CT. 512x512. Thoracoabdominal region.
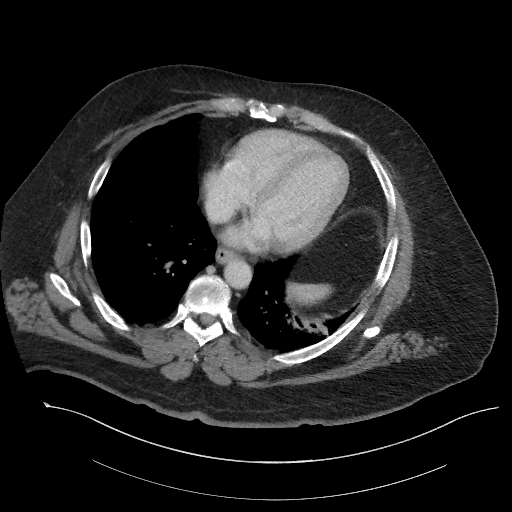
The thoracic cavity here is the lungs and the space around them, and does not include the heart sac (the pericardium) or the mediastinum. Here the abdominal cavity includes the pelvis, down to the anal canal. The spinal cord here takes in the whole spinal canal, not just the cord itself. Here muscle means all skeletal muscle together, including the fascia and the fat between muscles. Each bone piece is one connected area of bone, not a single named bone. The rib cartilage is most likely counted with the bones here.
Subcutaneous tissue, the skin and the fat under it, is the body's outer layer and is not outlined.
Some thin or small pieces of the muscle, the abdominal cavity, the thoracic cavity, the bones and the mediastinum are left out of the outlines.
Outlines (x, y in pixels):
torso: 174,63 211,66 267,80 351,88 387,104 415,129 482,247 495,282 497,332 476,374 403,409 364,421 230,428 164,415 69,375 47,369 26,371 10,329 2,289 0,240 5,203 71,117 97,91 128,73
abdominal cavity: 367,206 369,206 379,216 386,233 384,251 372,283 365,295 337,315 328,315 325,317 317,315 313,319 294,315 284,300 286,282 290,277 292,269 300,259 303,248 319,234 335,225 338,219 346,213 357,207
spinal cord: 202,313 207,313 208,314 210,314 214,318 214,321 211,324 210,324 209,325 208,325 207,326 203,326 202,325 201,325 198,322 198,321 197,320 197,317 198,316 198,315 199,315 200,314 201,314
mediastinum 1: 217,110 236,110 271,123 285,118 345,138 365,157 377,178 387,208 387,228 369,205 340,216 355,180 352,159 341,147 310,132 266,125 245,127 212,152 199,183 203,214 197,204 199,155 194,138 202,114
mediastinum 2: 209,224 217,238 222,243 251,256 254,260 275,260 280,258 276,260 260,261 254,266 252,278 247,291 239,300 235,309 230,306 230,288 219,275 201,274 196,276 206,266 212,264 215,261 217,240 212,233
muscle 1: 219,93 248,98 216,98 210,102 216,110 201,114 193,108 176,112 134,137 113,160 108,155 95,170 86,194 88,200 93,198 90,219 89,222 83,217 79,223 79,243 83,265 86,269 90,259 102,295 92,290 91,297 104,320 127,332 133,323 161,323 163,330 181,323 200,348 225,330 239,336 236,323 257,343 277,352 270,356 271,360 287,366 307,362 330,350 367,313 367,307 356,311 370,286 375,286 378,293 386,284 399,244 394,232 386,245 387,206 393,213 396,211 394,185 380,159 369,144 364,156 347,139 360,144 359,135 393,166 412,223 412,282 394,321 402,331 412,329 425,337 444,337 447,345 437,354 402,359 319,382 231,389 217,386 200,367 173,382 156,372 17,329 8,308 6,289 12,280 25,276 41,284 44,272 54,265 54,251 73,197 108,147 96,149 100,141 110,132 169,105 209,99 with holes at 51,272 53,273 56,273 58,274 62,278 63,278 63,279 66,282 71,293 73,294 79,300 80,302 80,305 79,306 75,305 69,299 62,295 58,291 58,290 55,287 55,286 50,279 49,274 and at 375,325 377,325 380,327 380,331 379,332 379,333 378,333 375,336 374,336 371,338 365,338 362,336 362,333 363,332 363,331 366,328 367,328 368,327 371,327 372,326 374,326
muscle 2: 281,103 285,103 286,104 290,104 291,105 297,105 300,107 308,109 311,111 314,111 317,113 321,113 327,117 333,123 328,121 320,115 318,115 312,112 309,112 308,111 293,111 289,107 286,106 283,103
pericardium: 255,126 298,130 323,137 341,148 348,155 353,164 353,191 345,202 345,206 339,214 335,224 319,233 303,247 301,251 286,257 254,259 251,255 225,244 218,238 208,223 200,203 200,183 213,152 245,128
thoracic cavity 1: 193,112 202,115 202,118 197,122 198,131 193,138 198,155 196,204 216,240 214,261 200,270 189,282 182,300 169,319 162,323 128,323 103,297 94,273 91,261 90,230 93,201 113,161 134,138 156,125
thoracic cavity 2: 294,254 299,255 299,259 285,282 283,298 294,316 311,320 317,316 321,318 337,316 360,300 361,302 352,317 323,339 297,349 278,352 257,342 235,321 231,308 235,310 246,295 254,268 258,263 285,259
bones 1: 201,275 219,276 227,284 230,291 229,306 232,311 235,325 240,334 236,335 225,329 221,335 209,340 200,347 197,340 183,329 183,324 181,322 164,329 160,326 169,320 176,312 179,303 183,300 190,282, around a hole outlined by 202,313 207,313 208,314 210,314 214,318 214,321 211,324 210,324 209,325 208,325 207,326 203,326 202,325 201,325 198,322 198,321 197,320 197,317 198,316 198,315 199,315 200,314 201,314
bones 2: 229,97 243,100 253,98 263,102 267,107 280,103 293,112 315,114 335,126 353,132 360,138 361,142 310,128 301,122 294,123 285,117 271,122 261,118 250,117 236,109 215,109 211,105 212,101
bones 3: 363,308 367,308 367,311 360,321 338,343 322,354 307,361 301,363 296,363 292,365 287,365 284,363 271,359 271,356 275,353 283,353 284,352 289,352 290,351 297,350 315,344 323,340 326,337 332,334
bones 4: 367,145 369,145 371,147 376,156 379,159 380,162 385,169 390,179 390,181 393,185 394,194 395,195 395,211 394,212 393,212 386,204 384,194 378,180 378,178 376,176 376,174 365,154 365,148
bones 5: 394,233 396,233 398,236 398,244 397,245 397,250 395,255 395,259 388,279 382,288 378,292 378,289 376,286 373,284 373,281 376,275 380,262 382,259 383,254 385,251 385,248 387,245 387,243 391,236
bones 6: 92,291 95,291 98,293 105,300 109,306 122,318 123,318 123,319 130,326 131,328 130,330 127,331 126,330 119,329 113,326 105,320 101,314 99,309 97,307 96,304 94,302 94,300 92,297
bones 7: 108,156 109,156 112,159 112,162 108,169 108,171 97,193 92,198 90,199 88,199 87,197 87,194 88,193 88,189 91,183 91,181 94,176 94,174 96,170 100,165 100,164
bones 8: 83,218 86,219 89,223 89,230 90,231 90,246 91,247 91,253 90,254 90,258 89,259 89,264 86,268 84,265 84,262 83,261 83,258 82,257 82,253 81,252 81,244 80,243 80,223
bones 9: 51,272 53,273 56,273 58,274 62,278 63,278 63,279 66,282 71,293 73,294 79,300 80,302 80,305 79,306 75,305 69,299 62,295 58,291 58,290 55,287 55,286 50,279 49,274
bones 10: 375,325 377,325 380,327 380,331 379,332 379,333 378,333 375,336 374,336 371,338 365,338 362,336 362,333 363,332 363,331 366,328 367,328 368,327 371,327 372,326 374,326
bones 11: 186,109 193,109 194,111 192,112 189,112 188,113 185,113 184,114 182,114 175,118 170,119 162,123 162,122 168,117 176,113 178,113 181,111 183,111